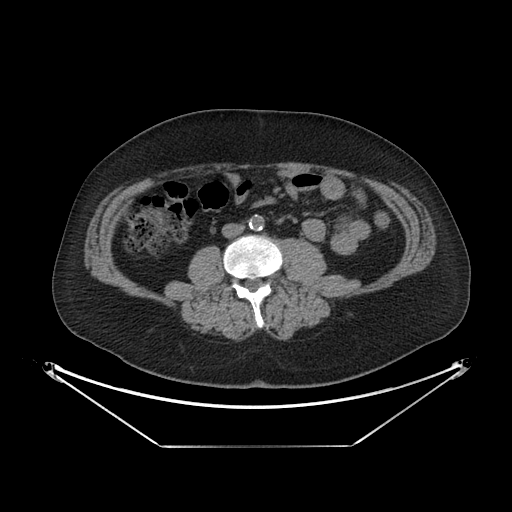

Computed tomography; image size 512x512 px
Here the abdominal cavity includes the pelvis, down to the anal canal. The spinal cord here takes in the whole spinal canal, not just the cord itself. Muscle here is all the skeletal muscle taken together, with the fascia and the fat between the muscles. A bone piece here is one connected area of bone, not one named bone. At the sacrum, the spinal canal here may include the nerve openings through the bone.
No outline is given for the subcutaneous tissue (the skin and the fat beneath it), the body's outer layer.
Outlines:
muscle: [[296,160],[345,169],[358,174],[387,178],[403,186],[428,211],[436,238],[434,255],[425,268],[397,280],[389,287],[338,300],[335,312],[328,324],[318,331],[300,339],[278,340],[263,330],[258,330],[240,341],[212,340],[194,333],[180,315],[171,308],[149,298],[128,295],[117,286],[106,284],[94,278],[86,269],[84,265],[84,242],[89,222],[102,199],[121,184],[157,172],[202,163],[232,161],[235,164],[266,164]]; inner edge: [[250,168],[316,172],[366,187],[403,227],[399,261],[363,284],[325,274],[316,245],[275,238],[283,261],[260,303],[261,328],[250,302],[228,288],[233,278],[215,244],[191,257],[190,282],[171,280],[162,293],[138,284],[112,254],[130,203],[159,183]]
bones: [[249,234],[271,238],[278,245],[283,259],[281,267],[269,278],[272,291],[260,303],[260,312],[264,322],[261,328],[256,325],[253,308],[250,302],[245,298],[238,297],[233,288],[228,288],[233,278],[226,272],[223,266],[222,257],[227,245],[238,237]]; inner edge: [[256,278],[260,278],[261,279],[262,279],[262,281],[263,282],[263,284],[262,285],[259,286],[254,291],[251,291],[250,290],[249,290],[249,289],[248,288],[245,287],[242,284],[243,283],[243,282],[245,279],[251,279],[252,280],[253,279],[255,279]]
spinal cord: [[256,278],[260,278],[261,279],[262,279],[262,281],[263,282],[263,284],[262,285],[259,286],[254,291],[251,291],[250,290],[249,290],[249,289],[248,288],[245,287],[242,284],[243,283],[243,282],[245,279],[251,279],[252,280],[253,279],[255,279]]
torso: [[213,108],[311,111],[337,116],[370,129],[416,159],[440,189],[468,251],[470,300],[459,325],[442,339],[369,374],[327,386],[292,389],[228,389],[176,382],[138,370],[75,336],[56,312],[51,277],[66,220],[82,182],[103,157],[144,129],[177,115]]
abdominal cavity: [[250,168],[316,172],[366,187],[403,227],[399,261],[363,284],[325,274],[324,255],[302,238],[249,233],[228,243],[222,256],[215,244],[198,249],[187,266],[190,282],[171,280],[162,293],[138,284],[118,268],[112,254],[115,227],[130,203],[159,183]]